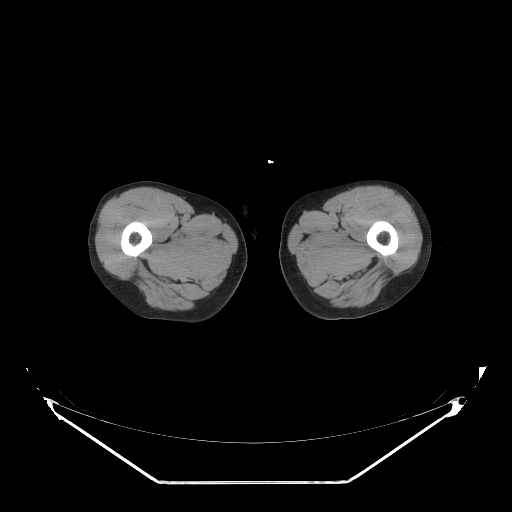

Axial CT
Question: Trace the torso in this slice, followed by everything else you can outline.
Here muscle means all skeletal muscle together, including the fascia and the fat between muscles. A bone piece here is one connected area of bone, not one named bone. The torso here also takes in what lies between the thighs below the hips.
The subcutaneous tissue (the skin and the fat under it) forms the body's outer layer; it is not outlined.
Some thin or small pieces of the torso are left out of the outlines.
Answer: {"torso":[[[243,199],[244,199],[245,200],[247,200],[250,203],[250,212],[249,213],[249,217],[248,218],[248,219],[247,219],[246,220],[245,219],[244,219],[243,218],[243,217],[242,216],[242,215],[241,214],[241,212],[240,211],[240,202]]],"muscle":[{"outer":[[140,186],[156,187],[187,199],[199,208],[217,215],[233,228],[237,236],[238,247],[236,255],[219,289],[211,298],[194,309],[166,311],[150,307],[146,303],[143,294],[134,285],[127,281],[118,280],[108,273],[97,256],[94,237],[101,208],[116,193]],"hole":[[132,221],[140,221],[144,223],[150,230],[151,232],[151,234],[152,235],[152,242],[151,244],[145,250],[141,252],[137,256],[130,256],[124,253],[121,248],[121,245],[120,244],[120,239],[121,238],[121,232],[123,228],[127,224],[128,224]]},{"outer":[[360,185],[382,185],[389,187],[401,194],[411,205],[417,217],[423,236],[422,245],[418,260],[412,267],[412,269],[391,280],[381,290],[379,295],[373,302],[360,308],[336,308],[315,298],[303,285],[287,247],[288,227],[294,215],[307,210],[322,200]],"hole":[[377,220],[385,220],[389,222],[395,228],[397,232],[397,235],[398,236],[398,246],[397,249],[393,253],[389,255],[386,255],[385,256],[382,255],[379,252],[376,251],[369,246],[367,243],[366,240],[366,234],[367,231],[373,222]]}],"right_leg":[[[138,180],[159,181],[211,198],[223,205],[237,220],[247,247],[248,258],[246,269],[232,297],[226,305],[211,318],[196,324],[186,324],[141,317],[130,311],[118,301],[103,285],[94,272],[90,264],[87,244],[89,223],[94,209],[99,199],[109,190]]],"left_leg":[[[368,178],[389,180],[402,185],[421,205],[431,230],[431,253],[427,267],[418,283],[396,304],[389,308],[356,319],[323,320],[316,318],[302,309],[295,301],[284,281],[280,270],[278,248],[284,216],[288,208],[297,199],[309,192],[321,190],[354,180]]],"bones":[[[377,220],[385,220],[389,222],[395,228],[397,232],[397,235],[398,236],[398,246],[397,249],[393,253],[389,255],[386,255],[385,256],[382,255],[379,252],[376,251],[369,246],[367,243],[366,240],[366,234],[367,231],[373,222]],[[132,221],[140,221],[144,223],[150,230],[151,232],[151,234],[152,235],[152,242],[151,244],[145,250],[141,252],[137,256],[130,256],[124,253],[121,248],[121,245],[120,244],[120,239],[121,238],[121,232],[123,228],[127,224],[128,224]]]}